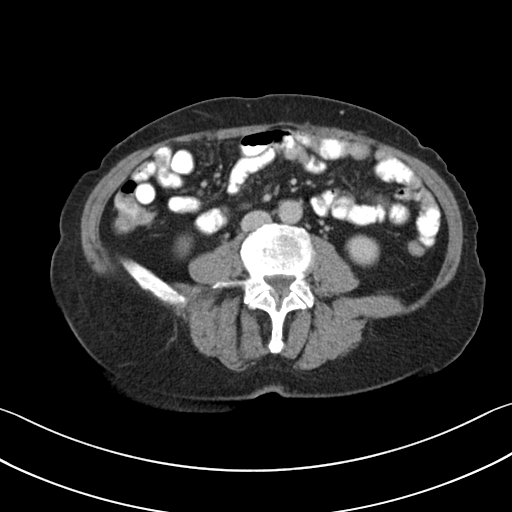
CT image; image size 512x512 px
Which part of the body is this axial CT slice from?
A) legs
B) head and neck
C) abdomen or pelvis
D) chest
C) abdomen or pelvis
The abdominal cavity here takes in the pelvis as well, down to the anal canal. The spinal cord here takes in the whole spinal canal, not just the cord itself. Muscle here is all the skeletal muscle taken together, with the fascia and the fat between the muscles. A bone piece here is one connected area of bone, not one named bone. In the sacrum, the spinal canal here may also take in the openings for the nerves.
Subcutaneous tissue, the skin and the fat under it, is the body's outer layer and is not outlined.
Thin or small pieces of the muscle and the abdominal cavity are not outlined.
{"bones":[{"outer":[[271,222],[304,228],[315,251],[305,274],[314,296],[313,305],[286,314],[282,326],[284,345],[278,353],[268,348],[272,327],[268,313],[249,308],[243,302],[244,291],[239,285],[212,287],[218,281],[244,279],[249,275],[240,256],[241,244],[249,233]],"hole":[[275,275],[284,275],[285,276],[292,276],[293,277],[293,280],[288,286],[288,290],[287,291],[284,291],[283,293],[282,293],[280,295],[275,291],[274,288],[271,285],[266,282],[264,278],[266,276],[268,276],[269,277],[270,276],[274,276]]},[[122,258],[129,258],[130,259],[132,259],[143,266],[146,267],[148,269],[151,270],[156,275],[164,280],[180,294],[184,296],[186,298],[186,302],[184,304],[182,303],[172,304],[167,301],[164,301],[160,299],[148,289],[143,289],[124,269],[120,261]]],"torso":[[[269,93],[318,95],[368,108],[401,124],[440,155],[478,222],[477,253],[486,276],[479,325],[463,351],[438,371],[354,396],[286,398],[268,392],[217,413],[162,410],[125,400],[96,379],[52,295],[49,272],[62,205],[76,180],[142,125],[204,99]]],"spinal_cord":[[[275,275],[284,275],[285,276],[292,276],[293,277],[293,280],[288,286],[288,290],[287,291],[284,291],[283,293],[282,293],[280,295],[275,291],[274,288],[271,285],[266,282],[264,278],[266,276],[268,276],[269,277],[270,276],[274,276]]],"muscle":[[[282,120],[361,131],[434,169],[452,191],[461,214],[463,242],[460,261],[453,278],[423,307],[399,316],[374,319],[366,337],[342,358],[329,360],[310,370],[295,370],[287,359],[273,354],[284,348],[283,326],[287,314],[314,305],[315,296],[306,280],[307,271],[316,255],[311,236],[318,236],[332,244],[350,266],[359,280],[349,293],[351,295],[385,293],[400,296],[409,304],[433,284],[446,254],[448,225],[438,199],[405,161],[384,149],[365,141],[322,135],[290,125],[277,125],[223,139],[174,141],[161,145],[131,170],[107,200],[100,219],[100,238],[112,251],[129,257],[122,257],[120,264],[143,290],[172,305],[184,305],[187,298],[167,282],[194,284],[196,282],[188,271],[190,260],[241,236],[239,256],[248,275],[218,280],[211,287],[239,286],[243,291],[242,302],[249,309],[267,313],[271,327],[267,348],[271,353],[248,369],[237,372],[216,358],[199,352],[182,319],[143,290],[126,285],[125,281],[98,275],[89,265],[82,249],[81,216],[85,202],[99,180],[117,162],[138,149],[183,134]]],"abdominal_cavity":[[[277,126],[374,145],[401,159],[421,178],[447,225],[441,267],[423,294],[409,303],[385,292],[353,295],[360,280],[332,243],[302,226],[275,221],[192,257],[187,271],[194,283],[167,281],[104,244],[100,225],[108,200],[156,149],[174,142],[235,138]]]}